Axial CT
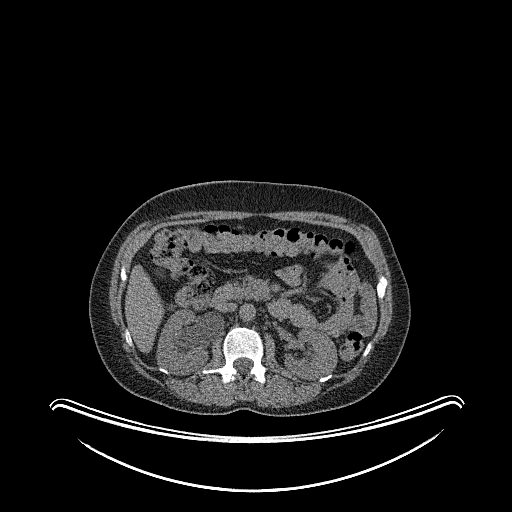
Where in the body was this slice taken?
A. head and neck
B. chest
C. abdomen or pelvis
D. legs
C. abdomen or pelvis
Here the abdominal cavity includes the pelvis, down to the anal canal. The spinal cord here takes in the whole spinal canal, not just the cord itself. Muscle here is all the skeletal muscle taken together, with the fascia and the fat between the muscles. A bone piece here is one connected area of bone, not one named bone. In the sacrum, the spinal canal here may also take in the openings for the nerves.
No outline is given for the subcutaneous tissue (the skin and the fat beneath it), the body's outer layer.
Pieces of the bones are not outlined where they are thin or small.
Outlines (x, y in pixels):
bones 1: 236 326; 251 328; 258 332; 262 339; 263 355; 261 363; 267 369; 264 374; 264 383; 261 383; 252 377; 243 381; 237 378; 233 381; 223 383; 219 373; 214 372; 205 374; 202 372; 203 368; 218 368; 225 363; 222 343; 227 332 with a hole at 239 358; 247 358; 248 359; 249 359; 252 362; 252 366; 249 369; 249 370; 246 373; 241 373; 240 372; 239 372; 237 370; 237 369; 234 366; 234 362; 237 359; 238 359
bones 2: 381 275; 383 275; 386 278; 386 279; 387 280; 387 284; 386 285; 386 287; 385 288; 385 294; 384 295; 384 297; 381 300; 380 300; 378 298; 378 295; 377 294; 377 290; 376 289; 376 286; 377 285; 377 283; 378 282; 378 279
bones 3: 122 262; 123 262; 124 263; 124 265; 125 266; 125 269; 126 270; 126 274; 127 275; 127 278; 126 279; 126 281; 125 282; 125 283; 122 283; 122 282; 121 281; 121 278; 120 277; 120 271; 121 270; 121 266; 122 265
bones 4: 370 341; 372 343; 372 347; 371 348; 371 349; 369 351; 369 352; 365 356; 362 356; 362 354; 363 353; 363 352; 364 351; 364 350; 365 349; 365 348; 366 347; 366 346; 367 345; 367 344
torso: 214 180; 298 183; 336 189; 359 198; 380 218; 406 278; 411 318; 395 365; 369 395; 340 408; 305 415; 272 416; 245 409; 204 415; 175 410; 134 395; 107 371; 97 352; 88 315; 90 283; 105 247; 124 220; 152 196; 170 188
abdominal cavity: 249 217; 338 228; 362 244; 377 277; 378 323; 346 371; 302 379; 278 363; 270 334; 263 341; 258 331; 240 325; 231 327; 222 342; 220 337; 214 340; 210 360; 185 377; 149 365; 138 354; 122 313; 127 271; 138 250; 160 228
muscle 1: 201 210; 229 210; 230 211; 246 211; 247 212; 317 211; 318 212; 331 213; 336 215; 340 215; 347 218; 350 218; 354 221; 366 224; 374 231; 384 252; 384 254; 386 257; 386 261; 390 270; 391 284; 392 285; 392 300; 393 301; 393 304; 392 305; 392 318; 386 334; 379 343; 375 346; 375 349; 369 361; 357 377; 350 382; 344 385; 339 386; 329 391; 327 393; 321 395; 318 398; 312 401; 299 405; 286 406; 285 407; 271 407; 270 406; 262 407; 257 405; 254 401; 241 401; 239 400; 235 403; 228 406; 218 406; 214 404; 211 405; 204 405; 199 403; 181 400; 171 394; 165 387; 162 387; 152 380; 150 380; 144 377; 133 367; 127 358; 126 353; 121 346; 120 336; 118 332; 118 329; 115 326; 110 313; 110 306; 109 305; 109 287; 110 286; 110 279; 111 278; 111 273; 112 272; 114 261; 118 250; 121 244; 129 233; 138 224; 144 220; 147 219; 154 219; 162 216; 166 216; 171 214; 177 214; 186 211; 200 211 with a hole at 249 217; 344 230; 362 244; 377 278; 386 278; 372 347; 346 371; 323 382; 293 375; 276 360; 274 339; 266 333; 265 382; 250 377; 223 383; 219 373; 205 374; 200 368; 185 377; 166 374; 126 342; 122 262; 127 271; 160 228
muscle 2: 218 338; 220 338; 221 339; 221 350; 222 351; 222 354; 224 358; 224 363; 221 366; 219 366; 218 367; 212 367; 211 368; 206 368; 205 366; 211 360; 212 358; 212 346; 214 343; 214 341; 215 341
spinal cord: 239 358; 247 358; 248 359; 249 359; 252 362; 252 366; 249 369; 249 370; 246 373; 241 373; 240 372; 239 372; 237 370; 237 369; 234 366; 234 362; 237 359; 238 359